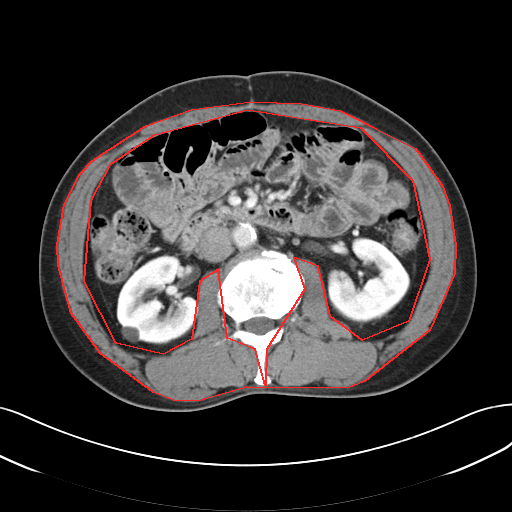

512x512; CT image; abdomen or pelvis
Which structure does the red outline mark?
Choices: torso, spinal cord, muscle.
red: muscle.
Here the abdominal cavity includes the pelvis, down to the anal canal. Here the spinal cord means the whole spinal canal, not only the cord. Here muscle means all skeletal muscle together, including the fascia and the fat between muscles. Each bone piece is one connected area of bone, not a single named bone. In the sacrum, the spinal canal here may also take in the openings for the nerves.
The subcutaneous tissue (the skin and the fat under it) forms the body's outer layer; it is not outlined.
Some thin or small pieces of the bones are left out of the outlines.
muscle: 251 101; 301 103; 340 110; 415 148; 441 184; 449 205; 455 245; 454 273; 429 330; 364 381; 347 388; 246 387; 197 401; 173 400; 153 392; 100 353; 71 313; 58 265; 57 244; 64 204; 80 173; 92 160; 146 125; 191 109; inner edge: 247 109; 360 127; 412 180; 429 259; 408 321; 362 340; 330 316; 318 266; 293 257; 304 289; 266 349; 265 385; 255 349; 227 338; 218 269; 199 281; 191 339; 163 354; 116 343; 84 281; 91 200; 111 163; 155 134
abdominal cavity: 247 109; 360 127; 400 164; 416 188; 427 234; 429 271; 413 312; 393 333; 354 339; 347 323; 330 316; 318 266; 263 248; 223 279; 218 269; 202 275; 191 339; 163 354; 129 351; 103 327; 84 281; 94 190; 111 163; 139 142
spinal cord: 255 317; 266 317; 269 319; 271 319; 275 322; 275 326; 272 329; 267 331; 263 334; 257 334; 256 333; 254 333; 253 332; 251 332; 250 331; 247 331; 243 328; 243 324; 244 323; 244 322; 249 320; 251 318; 254 318
bones: 263 249; 291 257; 304 278; 304 289; 296 308; 281 319; 284 328; 282 338; 266 349; 264 370; 271 382; 259 385; 254 382; 257 353; 251 345; 238 338; 227 338; 235 330; 235 323; 218 304; 217 292; 234 265; 246 258; 255 257, around a hole outlined by 255 317; 266 317; 269 319; 271 319; 275 322; 275 326; 272 329; 267 331; 263 334; 257 334; 256 333; 254 333; 253 332; 251 332; 250 331; 247 331; 243 328; 243 324; 244 323; 244 322; 249 320; 251 318; 254 318
torso: 273 70; 303 71; 348 85; 404 118; 435 149; 462 194; 473 231; 477 287; 467 327; 437 364; 413 381; 378 395; 251 394; 183 412; 126 403; 84 377; 62 354; 46 325; 39 294; 38 255; 52 194; 86 144; 147 96; 192 78